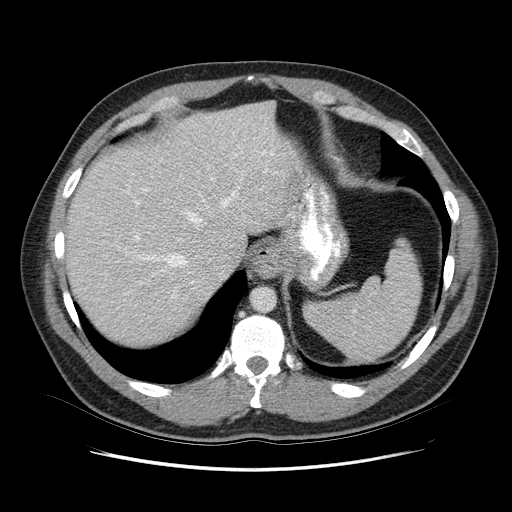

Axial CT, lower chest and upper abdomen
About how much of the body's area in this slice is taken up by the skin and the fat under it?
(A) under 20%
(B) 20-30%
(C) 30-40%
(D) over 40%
Answer: (A) under 20%
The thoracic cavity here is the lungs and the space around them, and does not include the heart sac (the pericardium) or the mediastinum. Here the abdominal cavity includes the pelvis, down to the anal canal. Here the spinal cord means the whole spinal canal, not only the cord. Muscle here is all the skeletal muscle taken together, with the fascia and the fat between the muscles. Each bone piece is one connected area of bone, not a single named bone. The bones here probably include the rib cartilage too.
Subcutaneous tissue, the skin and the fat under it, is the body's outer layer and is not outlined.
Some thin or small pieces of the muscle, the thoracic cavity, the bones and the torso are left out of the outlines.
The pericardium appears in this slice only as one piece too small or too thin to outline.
{"muscle":[{"outer":[[186,426],[230,423],[252,410],[313,422],[355,414],[407,380],[465,324],[483,252],[478,214],[407,124],[329,81],[252,73],[253,83],[267,83],[267,78],[331,112],[337,105],[352,104],[405,127],[421,145],[422,159],[440,189],[450,189],[460,208],[458,222],[451,223],[448,251],[455,258],[454,276],[449,288],[442,290],[430,322],[438,329],[424,352],[402,370],[398,363],[406,354],[384,371],[356,382],[368,390],[360,397],[344,398],[329,387],[331,380],[339,380],[308,368],[287,342],[301,367],[291,370],[282,361],[282,372],[268,377],[261,389],[259,409],[248,403],[253,387],[245,377],[235,375],[232,366],[211,380],[205,378],[210,369],[192,380],[162,385],[172,392],[161,398],[132,389],[125,380],[129,377],[111,366],[71,321],[61,296],[67,288],[63,258],[55,257],[52,243],[55,233],[63,231],[67,199],[61,192],[66,179],[113,136],[117,122],[164,95],[176,94],[185,104],[246,81],[249,74],[155,89],[111,116],[76,151],[50,210],[40,267],[46,319],[110,387],[157,416]],"hole":[[320,104],[333,104],[335,102],[335,97],[332,94],[331,94],[328,92],[326,92],[323,90],[316,90],[315,91],[314,91],[312,93],[312,98],[314,101],[315,101],[316,102],[317,102]]}],"torso":[[[205,445],[249,439],[316,441],[395,423],[439,397],[475,343],[497,273],[498,236],[493,217],[429,118],[409,98],[376,79],[326,64],[271,59],[195,62],[146,73],[92,106],[34,201],[20,246],[21,287],[34,326],[66,385],[107,421],[152,437]]],"spinal_cord":[[[254,373],[259,373],[260,372],[261,372],[266,367],[266,366],[267,365],[267,361],[264,358],[263,358],[262,357],[261,357],[260,356],[255,356],[254,357],[252,357],[251,358],[250,358],[247,361],[247,366]]],"bones":[{"outer":[[253,408],[261,407],[260,389],[268,376],[281,372],[282,360],[291,369],[300,367],[295,355],[286,348],[286,337],[281,326],[275,320],[259,314],[247,316],[233,326],[228,346],[206,376],[211,379],[232,365],[233,372],[245,376],[254,387],[249,402]],"hole":[[254,373],[259,373],[260,372],[261,372],[266,367],[266,366],[267,365],[267,361],[264,358],[263,358],[262,357],[261,357],[260,356],[255,356],[254,357],[252,357],[251,358],[250,358],[247,361],[247,366]]},[[421,158],[423,156],[423,151],[420,145],[414,137],[405,128],[400,127],[390,121],[380,118],[366,110],[361,109],[358,107],[355,107],[352,105],[340,105],[334,108],[336,114],[341,117],[346,119],[363,122],[379,128],[392,137],[400,145]],[[114,135],[116,135],[126,129],[128,129],[130,127],[133,127],[136,125],[144,123],[151,117],[154,112],[159,112],[164,109],[169,109],[182,105],[178,96],[176,95],[164,96],[151,103],[144,111],[134,114],[130,117],[117,123],[113,128],[113,134]],[[402,369],[412,363],[423,352],[423,351],[426,348],[426,347],[431,341],[432,338],[434,336],[436,332],[436,330],[437,329],[437,324],[433,324],[431,325],[426,330],[423,335],[413,346],[413,347],[410,350],[408,354],[399,363],[400,367]],[[155,397],[161,397],[162,396],[168,395],[171,392],[171,389],[170,388],[164,387],[158,384],[154,384],[153,383],[141,381],[137,379],[133,379],[132,378],[127,378],[126,379],[128,384],[132,388],[144,394],[150,396],[154,396]],[[344,397],[357,397],[358,396],[360,396],[362,395],[367,390],[367,389],[364,387],[362,387],[361,386],[359,386],[358,385],[356,385],[352,383],[347,383],[346,382],[335,382],[334,381],[331,381],[330,382],[330,387],[331,388],[331,390],[333,392]],[[453,223],[456,223],[457,222],[457,220],[459,216],[459,208],[458,207],[457,200],[452,193],[452,192],[448,189],[445,189],[442,192],[443,194],[443,198],[445,202],[445,205],[446,206],[447,211],[449,214],[449,216],[451,219],[451,221]],[[80,330],[82,330],[82,328],[81,327],[81,325],[79,321],[79,318],[77,315],[76,310],[74,307],[74,305],[73,304],[73,301],[69,293],[69,291],[67,289],[63,289],[62,290],[62,296],[63,297],[63,301],[64,302],[65,307],[72,321]],[[443,290],[446,290],[448,288],[451,282],[451,280],[453,276],[453,271],[454,270],[454,258],[453,256],[448,252],[445,258],[445,261],[444,262],[444,265],[443,266],[443,274],[442,275],[442,278],[443,279]],[[65,198],[67,198],[69,197],[69,196],[75,188],[75,186],[77,184],[79,180],[79,178],[83,170],[83,167],[82,166],[79,166],[77,168],[76,168],[71,173],[71,174],[67,179],[65,183],[65,185],[64,186],[63,191],[62,192],[62,196]],[[320,104],[333,104],[335,102],[335,97],[332,94],[331,94],[328,92],[326,92],[323,90],[316,90],[315,91],[314,91],[312,93],[312,98],[314,101],[315,101],[316,102],[317,102]],[[58,259],[60,259],[63,257],[63,252],[64,251],[64,238],[63,237],[63,232],[62,231],[58,231],[56,233],[56,234],[55,235],[55,238],[54,239],[54,242],[53,243],[54,244],[54,250],[55,251],[55,255],[56,256],[56,257]]],"thoracic_cavity":[[[159,384],[183,382],[192,379],[214,366],[228,344],[232,328],[232,315],[246,288],[244,271],[236,273],[216,293],[206,306],[200,321],[193,329],[168,344],[150,350],[129,350],[108,342],[93,329],[74,302],[85,334],[96,350],[111,365],[130,377]],[[442,267],[444,258],[448,250],[451,222],[444,205],[441,191],[437,183],[429,173],[423,161],[419,157],[400,146],[387,134],[382,132],[381,173],[383,175],[402,175],[403,177],[398,183],[400,185],[407,185],[419,191],[429,200],[440,219],[443,232]],[[353,383],[384,370],[393,363],[392,361],[378,365],[371,365],[370,366],[353,366],[345,368],[334,368],[317,364],[304,357],[300,356],[299,354],[299,356],[302,361],[308,367],[314,371],[328,377],[332,377],[335,379],[339,379],[341,381],[346,381]]],"abdominal_cavity":[[[334,367],[394,361],[422,335],[442,274],[442,232],[419,192],[347,167],[326,110],[280,86],[239,82],[160,112],[90,158],[66,205],[64,269],[73,300],[100,335],[137,350],[180,337],[244,270],[254,248],[274,242],[288,259],[282,297],[296,353]]],"mediastinum":[[[296,352],[297,348],[291,338],[288,329],[281,297],[281,287],[287,270],[287,259],[274,243],[259,246],[255,248],[245,268],[247,288],[235,309],[233,315],[233,325],[238,320],[247,315],[253,313],[265,314],[275,319],[282,326],[287,337],[287,341]],[[384,180],[391,180],[395,178],[399,180],[402,176],[383,176],[380,173],[380,163],[381,162],[380,135],[381,131],[373,126],[359,122],[346,120],[327,111],[327,118],[329,120],[331,127],[331,135],[333,141],[342,154],[348,167],[356,173],[364,174]]]}